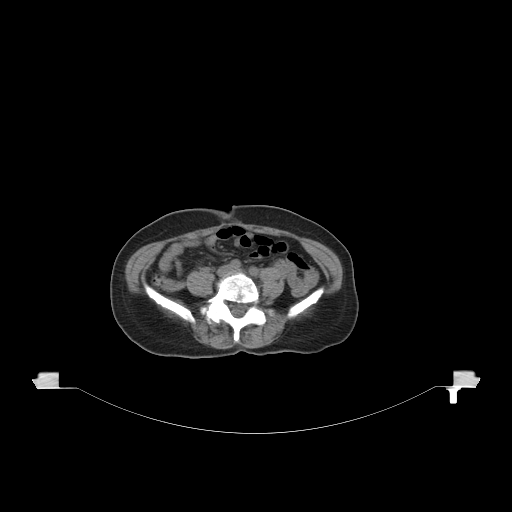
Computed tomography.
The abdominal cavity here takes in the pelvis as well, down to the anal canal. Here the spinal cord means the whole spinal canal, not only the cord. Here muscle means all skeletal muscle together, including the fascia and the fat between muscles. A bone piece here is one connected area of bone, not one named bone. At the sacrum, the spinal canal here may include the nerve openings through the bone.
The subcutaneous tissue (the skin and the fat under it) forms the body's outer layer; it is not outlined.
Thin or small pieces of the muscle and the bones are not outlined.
muscle 1: (235, 219) (239, 220) (243, 223) (264, 225) (265, 226) (269, 226) (270, 227) (274, 227) (279, 229) (287, 230) (299, 236) (313, 239) (327, 246) (337, 255) (341, 263) (342, 270) (343, 271) (342, 284) (341, 285) (341, 287) (338, 291) (334, 294) (330, 295) (319, 303) (316, 306) (315, 310) (313, 311) (309, 317) (304, 317) (299, 320) (294, 321) (291, 325) (281, 334) (280, 337) (274, 342) (268, 345) (266, 345) (262, 347) (258, 347) (257, 348) (248, 348) (241, 345) (235, 345) (233, 347) (227, 348) (226, 349) (217, 349) (216, 348) (214, 348) (210, 346) (207, 346) (204, 344) (197, 342) (193, 338) (190, 330) (184, 326) (179, 321) (175, 321) (171, 318) (169, 318) (165, 316) (164, 314) (153, 304) (150, 303) (143, 297) (139, 295) (132, 294) (129, 291) (127, 287) (127, 284) (125, 279) (125, 267) (126, 266) (127, 261) (130, 256) (140, 247) (148, 243) (150, 243) (154, 241) (163, 240) (164, 239) (166, 239) (170, 237) (173, 237) (183, 233) (193, 231) (196, 229) (205, 228) (206, 227) (209, 227) (214, 225) (219, 225) (221, 223) (223, 223) (224, 222) (229, 222); inner edge: (230, 224) (296, 240) (325, 277) (319, 299) (289, 318) (265, 308) (283, 292) (285, 280) (274, 265) (263, 267) (258, 306) (266, 319) (242, 327) (238, 342) (225, 321) (207, 322) (200, 312) (206, 300) (169, 298) (191, 311) (192, 323) (156, 303) (143, 286) (167, 244)
muscle 2: (196, 270) (197, 271) (212, 272) (215, 277) (215, 280) (213, 283) (213, 290) (212, 291) (212, 293) (210, 294) (206, 294) (200, 297) (199, 296) (196, 296) (192, 294) (188, 290) (186, 286) (186, 283) (187, 282) (187, 278) (188, 277) (188, 275) (192, 271) (195, 271)
bones 1: (234, 272) (243, 272) (252, 278) (258, 291) (258, 306) (266, 316) (262, 325) (250, 323) (242, 327) (238, 342) (234, 341) (233, 329) (228, 323) (223, 320) (218, 323) (208, 323) (206, 316) (200, 312) (200, 307) (206, 305) (207, 301) (216, 295) (218, 287) (216, 282); inner edge: (230, 303) (238, 303) (239, 304) (245, 304) (246, 305) (247, 305) (247, 308) (246, 309) (245, 312) (243, 314) (243, 315) (242, 316) (241, 316) (240, 317) (236, 317) (235, 316) (234, 316) (232, 314) (232, 313) (231, 312) (231, 310) (229, 307) (229, 304)
bones 2: (145, 282) (146, 282) (156, 291) (162, 294) (164, 296) (183, 305) (185, 307) (187, 307) (191, 311) (195, 319) (195, 322) (194, 323) (189, 322) (171, 310) (167, 309) (161, 306) (159, 304) (156, 303) (151, 298) (150, 298) (145, 292) (145, 290) (143, 286) (143, 284)
bones 3: (322, 285) (324, 287) (324, 291) (319, 298) (319, 299) (314, 304) (312, 304) (310, 305) (304, 310) (303, 310) (292, 318) (289, 318) (287, 316) (287, 311) (289, 307) (294, 305) (297, 302) (298, 302) (303, 298) (306, 297) (314, 290) (315, 290)
spinal cord: (230, 303) (238, 303) (239, 304) (245, 304) (246, 305) (247, 305) (247, 308) (246, 309) (245, 312) (243, 314) (243, 315) (242, 316) (241, 316) (240, 317) (236, 317) (235, 316) (234, 316) (232, 314) (232, 313) (231, 312) (231, 310) (229, 307) (229, 304)
torso: (236, 204) (266, 204) (291, 210) (325, 227) (348, 249) (353, 262) (359, 310) (356, 324) (345, 341) (311, 354) (238, 352) (222, 357) (185, 358) (150, 353) (122, 331) (112, 314) (109, 286) (113, 262) (124, 243) (141, 227) (166, 213) (192, 207) (228, 209)
abdominal cavity: (230, 224) (296, 240) (320, 267) (325, 281) (284, 312) (265, 308) (285, 287) (282, 272) (274, 265) (259, 271) (260, 299) (257, 284) (243, 271) (220, 277) (215, 282) (215, 295) (207, 300) (188, 303) (164, 295) (146, 280) (146, 272) (162, 249) (171, 242) (190, 242) with a hole at (196, 270) (197, 271) (212, 272) (215, 277) (215, 280) (213, 283) (213, 290) (212, 291) (212, 293) (210, 294) (206, 294) (200, 297) (199, 296) (196, 296) (192, 294) (188, 290) (186, 286) (186, 283) (187, 282) (187, 278) (188, 277) (188, 275) (192, 271) (195, 271)